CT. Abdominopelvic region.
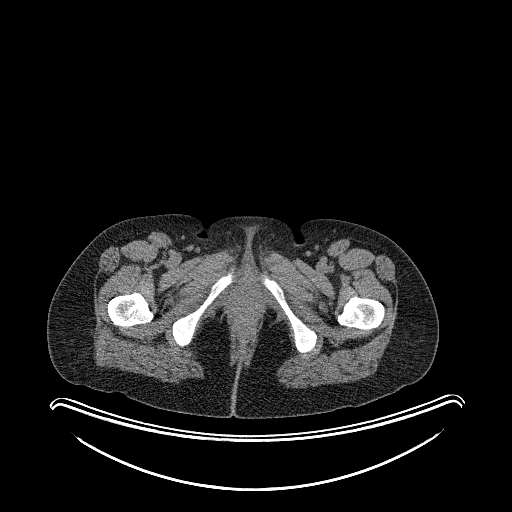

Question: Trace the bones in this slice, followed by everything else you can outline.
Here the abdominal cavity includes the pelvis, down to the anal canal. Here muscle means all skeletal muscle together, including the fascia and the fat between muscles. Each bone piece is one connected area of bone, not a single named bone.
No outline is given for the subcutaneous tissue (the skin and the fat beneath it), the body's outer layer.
Answer: Outlines:
bones 1: 132 292; 138 292; 140 293; 145 298; 145 299; 148 303; 148 306; 150 310; 153 313; 153 318; 149 322; 143 323; 142 324; 135 324; 129 327; 117 326; 112 322; 107 313; 107 304; 109 300; 114 296; 116 296; 120 294; 129 294
bones 2: 355 295; 357 295; 360 297; 372 298; 378 300; 383 304; 385 309; 384 317; 381 323; 377 327; 368 330; 363 330; 355 327; 349 327; 348 326; 341 325; 337 321; 337 316; 342 311; 345 303; 352 296
bones 3: 229 272; 231 272; 233 275; 233 281; 217 295; 200 316; 196 324; 195 331; 191 341; 187 345; 182 347; 178 345; 176 343; 172 334; 172 325; 173 323; 180 317; 185 316; 198 308; 208 295; 211 286; 216 280; 218 278; 226 275
bones 4: 264 275; 266 275; 270 279; 274 280; 278 283; 283 290; 285 299; 294 314; 309 328; 313 330; 316 333; 317 335; 316 343; 313 349; 310 351; 307 352; 299 352; 297 350; 294 341; 293 330; 286 314; 271 292; 262 283; 262 276
torso: 170 213; 194 216; 206 226; 234 215; 274 217; 290 226; 298 242; 300 225; 317 218; 357 223; 389 237; 418 267; 436 307; 439 339; 429 370; 415 383; 360 406; 278 418; 179 413; 68 382; 54 368; 46 339; 60 280; 107 227
muscle: 139 230; 167 234; 178 251; 187 255; 249 243; 286 256; 307 258; 341 238; 384 249; 394 258; 397 269; 397 314; 377 370; 358 381; 301 389; 285 387; 275 372; 292 355; 292 344; 284 322; 274 309; 264 314; 249 368; 239 369; 231 363; 229 324; 221 306; 205 320; 194 340; 193 348; 204 368; 204 378; 188 378; 176 384; 97 366; 93 358; 96 323; 93 299; 98 260; 117 237; inner edges: 242 284; 251 285; 255 287; 259 291; 263 296; 263 307; 259 312; 253 329; 251 346; 246 352; 245 356; 241 359; 237 352; 236 344; 235 343; 236 341; 232 333; 231 308; 229 305; 228 300; 230 298; 230 294; 231 294; 236 288, then 132 292; 138 292; 140 293; 145 298; 145 299; 148 303; 148 306; 150 310; 153 313; 153 318; 149 322; 143 323; 142 324; 135 324; 129 327; 117 326; 112 322; 107 313; 107 304; 109 300; 114 296; 116 296; 120 294; 129 294, then 355 295; 357 295; 360 297; 372 298; 378 300; 383 304; 385 309; 384 317; 381 323; 377 327; 368 330; 363 330; 355 327; 349 327; 348 326; 341 325; 337 321; 337 316; 342 311; 345 303; 352 296, then 229 272; 231 272; 233 275; 233 281; 217 295; 200 316; 196 324; 195 331; 191 341; 187 345; 182 347; 178 345; 176 343; 172 334; 172 325; 173 323; 180 317; 185 316; 198 308; 208 295; 211 286; 216 280; 218 278; 226 275, then 264 275; 266 275; 270 279; 274 280; 278 283; 283 290; 285 299; 294 314; 309 328; 313 330; 316 333; 317 335; 316 343; 313 349; 310 351; 307 352; 299 352; 297 350; 294 341; 293 330; 286 314; 271 292; 262 283; 262 276
abdominal cavity: 242 284; 251 285; 255 287; 259 291; 263 296; 263 307; 259 312; 253 329; 251 346; 246 352; 245 356; 241 359; 237 352; 236 344; 235 343; 236 341; 232 333; 231 308; 229 305; 228 300; 230 298; 230 294; 231 294; 236 288